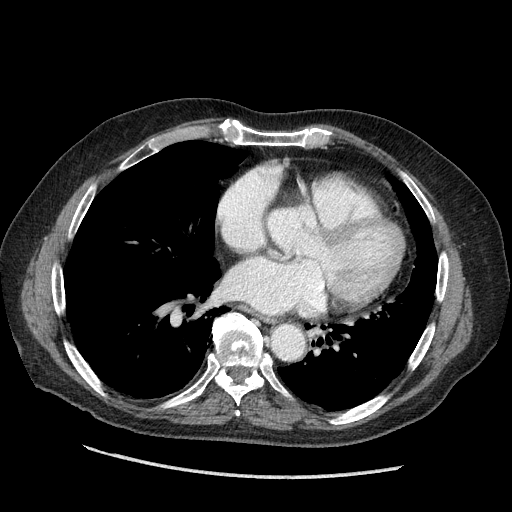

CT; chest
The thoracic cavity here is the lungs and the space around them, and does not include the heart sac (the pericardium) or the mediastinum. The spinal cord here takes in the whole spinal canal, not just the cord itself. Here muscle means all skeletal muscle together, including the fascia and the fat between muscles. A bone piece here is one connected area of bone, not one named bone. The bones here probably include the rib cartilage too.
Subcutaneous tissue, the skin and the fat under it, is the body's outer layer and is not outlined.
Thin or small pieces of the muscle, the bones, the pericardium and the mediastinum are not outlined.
The bones appear in 10 outlined pieces: piece 1: 228,311 241,313 257,326 264,340 263,350 272,358 276,375 295,399 284,397 266,381 262,387 245,393 237,406 234,399 212,380 199,396 188,402 165,409 154,408 201,375 206,367 206,355 213,350 213,320; inner edge: 239,365 248,368 249,369 249,371 250,372 250,373 249,374 249,375 247,377 246,377 243,380 243,382 242,383 235,383 234,382 234,380 228,374 228,369 230,367 232,367 233,366 238,366; piece 2: 228,117 235,118 244,125 260,131 289,132 301,130 306,127 307,128 320,127 331,130 333,131 334,134 325,148 320,147 304,148 294,145 289,146 234,145 224,141 219,142 215,140 220,136 220,131 216,125; piece 3: 203,125 208,127 210,130 208,135 205,138 187,139 186,140 174,142 162,148 158,152 150,155 128,168 118,172 117,170 118,165 140,145 143,144 151,137 171,132 174,130 180,128 184,128 188,126 202,126; piece 4: 389,392 392,393 391,397 381,407 369,415 367,415 365,417 363,417 360,419 348,423 344,423 343,424 332,424 328,422 328,419 335,417 340,412 344,412 346,410 352,407 359,405 373,398 380,393 388,393; piece 5: 63,338 66,338 71,343 72,343 76,347 83,358 88,363 90,367 102,382 103,390 107,394 106,396 102,396 96,391 95,391 76,370 76,369 70,361 65,351 65,349 63,345 63,342 62,341; piece 6: 55,260 58,260 60,264 62,266 62,273 63,274 63,287 64,288 64,293 65,294 65,314 61,316 58,316 54,309 54,306 53,305 53,299 52,298 52,292 51,291 51,269 52,268 52,265; piece 7: 93,182 96,182 97,183 97,189 96,190 96,193 87,211 85,213 72,240 71,241 69,241 67,239 66,234 67,233 67,231 68,230 69,225 71,222 71,220 72,219 73,214 82,196 86,191 87,188; piece 8: 431,321 434,321 435,322 435,331 434,332 433,337 431,340 431,342 429,345 429,347 427,351 425,353 423,358 421,360 420,363 413,371 411,371 407,368 407,366 406,365 407,364 408,358 415,348 427,324; piece 9: 397,169 401,169 407,173 427,198 431,204 434,210 434,212 437,217 437,221 436,223 434,224 431,224 430,223 425,212 421,207 420,204 417,201 415,197 412,194 406,185 398,176 397,174 397,171 396,170; piece 10: 441,250 445,250 448,257 448,265 449,266 448,267 448,276 447,277 447,285 446,286 446,289 445,290 445,294 442,301 441,302 437,302 435,300 435,287 436,286 436,282 437,281 437,270 438,269 438,255. The torso is outlined by 184,97 219,98 264,112 342,108 371,113 418,135 481,190 503,237 510,280 505,312 493,348 429,414 377,438 343,446 167,438 102,422 34,384 12,335 2,289 0,244 10,222 49,167 98,124 144,105. The spinal cord is outlined by 239,365 248,368 249,369 249,371 250,372 250,373 249,374 249,375 247,377 246,377 243,380 243,382 242,383 235,383 234,382 234,380 228,374 228,369 230,367 232,367 233,366 238,366. The muscle is outlined by 210,117 225,118 215,125 219,136 214,140 206,138 211,130 205,124 151,136 117,165 114,177 98,191 98,183 93,181 78,201 65,234 71,242 64,261 62,265 55,259 50,269 52,305 69,325 73,343 66,337 61,341 75,370 102,397 108,395 103,383 134,398 165,397 153,408 162,410 194,400 212,381 237,407 245,394 267,382 290,401 296,396 339,412 327,419 332,425 360,420 381,408 393,395 381,392 406,366 413,372 430,347 436,322 428,320 434,302 441,303 445,297 449,257 445,249 438,253 436,247 431,225 438,217 432,204 403,169 397,168 396,175 359,147 329,144 335,134 325,127 278,130 326,123 391,154 439,200 454,233 470,284 472,333 465,348 426,388 365,423 340,430 255,426 240,419 238,408 223,424 180,424 139,418 107,406 64,373 38,344 20,309 20,292 36,245 66,201 85,179 147,136. The mediastinum is outlined by 223,142 304,149 347,144 373,156 400,180 387,178 407,218 415,242 414,266 407,285 391,301 349,324 306,323 304,357 275,367 253,320 220,306 218,281 222,272 213,255 215,233 224,264 220,282 232,299 262,313 291,315 311,323 344,322 381,301 406,272 411,258 410,233 402,216 400,204 390,184 383,177 333,160 270,158 249,167 220,194 219,180 230,177 247,156. The pericardium is outlined by 287,158 320,159 361,168 383,178 399,204 410,243 410,258 405,272 401,281 381,300 350,319 311,322 291,314 262,312 245,301 232,298 228,288 221,282 225,264 215,232 220,196 234,179 252,166 270,159. The thoracic cavity appears in 2 outlined pieces: piece 1: 198,139 246,153 229,176 218,180 220,195 212,255 221,272 217,281 219,306 228,310 212,320 212,350 205,355 205,367 191,384 166,399 134,397 105,384 74,344 66,318 63,264 97,192 119,173 167,146; piece 2: 389,177 405,185 431,226 438,254 434,301 427,323 401,372 373,397 344,411 327,410 292,393 274,367 295,364 305,357 309,342 306,324 349,325 362,315 377,311 383,303 391,302 408,285 415,266 416,242.